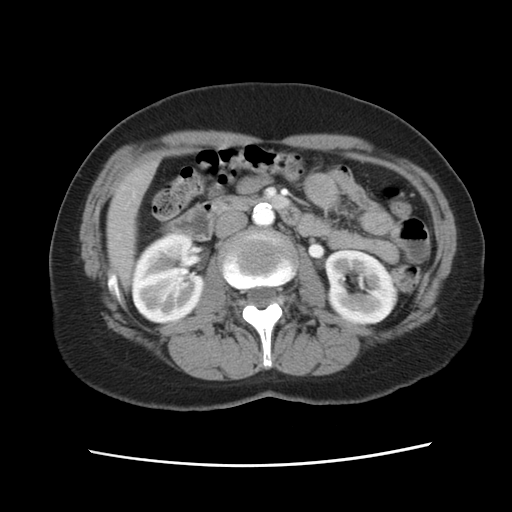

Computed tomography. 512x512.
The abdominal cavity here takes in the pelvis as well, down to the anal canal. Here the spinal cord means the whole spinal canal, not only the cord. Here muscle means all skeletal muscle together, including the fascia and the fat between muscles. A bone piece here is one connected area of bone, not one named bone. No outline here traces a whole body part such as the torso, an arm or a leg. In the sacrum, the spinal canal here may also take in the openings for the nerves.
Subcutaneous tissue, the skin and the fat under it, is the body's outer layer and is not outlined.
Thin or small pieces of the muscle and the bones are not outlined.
The bones are outlined by 255,234 279,239 286,245 292,246 297,261 296,274 281,287 283,297 282,315 272,331 271,367 262,365 263,351 260,336 242,317 242,305 240,304 242,296 238,290 225,280 217,263 218,251 224,244 231,240; inner edge: 255,287 275,287 277,290 277,296 276,297 276,300 270,303 263,309 259,309 255,305 253,304 246,304 246,300 245,299 245,295 246,294 246,291 248,289 251,289. The abdominal cavity is outlined by 239,142 332,150 392,170 417,190 429,208 437,247 432,265 399,322 377,331 340,320 326,309 324,286 304,250 255,233 215,246 193,315 176,325 150,327 130,313 101,244 100,212 114,184 130,168 145,161. The spinal cord is outlined by 255,287 275,287 277,290 277,296 276,297 276,300 270,303 263,309 259,309 255,305 253,304 246,304 246,300 245,299 245,295 246,294 246,291 248,289 251,289. The muscle is outlined by 185,129 225,130 265,139 280,139 302,133 347,134 363,138 382,152 406,158 422,167 433,176 448,200 457,232 456,252 451,270 443,281 437,311 427,322 402,336 362,351 349,365 337,372 320,376 292,376 268,369 241,380 229,381 193,377 169,366 149,351 108,328 96,300 94,285 86,276 80,259 78,234 87,194 103,164 117,148 124,144 with a hole at 239,142 332,150 392,170 417,190 437,247 399,322 377,331 340,320 297,245 271,367 242,317 240,292 218,266 223,243 208,261 195,313 180,323 150,327 120,292 115,300 100,212 116,181 163,155.